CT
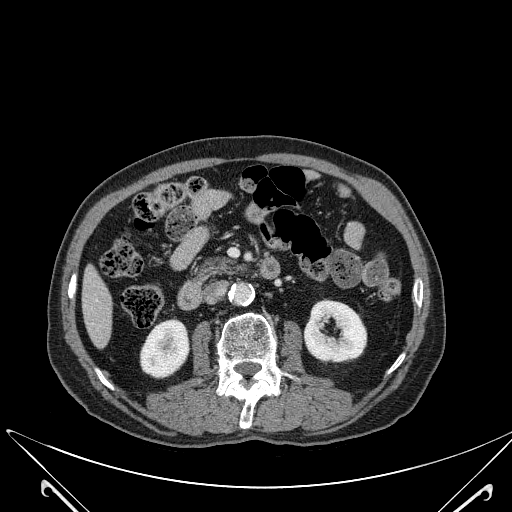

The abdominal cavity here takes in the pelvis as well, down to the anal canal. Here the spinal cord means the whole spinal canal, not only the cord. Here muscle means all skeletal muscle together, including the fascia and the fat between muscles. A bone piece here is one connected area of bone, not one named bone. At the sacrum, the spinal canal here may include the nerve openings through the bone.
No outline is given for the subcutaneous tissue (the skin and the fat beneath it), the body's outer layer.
The spinal cord is outlined by 243 362; 252 362; 253 363; 258 363; 260 365; 260 366; 261 367; 259 370; 258 370; 249 378; 246 378; 242 374; 241 374; 240 373; 237 372; 234 369; 234 367; 235 366; 235 365; 236 365; 237 364; 239 364; 240 363; 242 363. The torso is outlined by 261 134; 307 139; 366 160; 385 171; 406 196; 436 256; 445 301; 444 352; 419 401; 408 414; 386 428; 310 446; 248 440; 181 448; 132 436; 90 415; 63 387; 46 351; 47 298; 52 269; 76 209; 105 178; 152 153; 205 137. The muscle is outlined by 278 152; 301 154; 323 159; 343 168; 348 172; 357 173; 373 178; 385 185; 398 199; 411 221; 417 234; 424 254; 426 257; 427 265; 429 269; 428 275; 429 276; 429 287; 430 288; 430 307; 428 316; 425 321; 425 331; 423 338; 414 354; 414 357; 409 369; 399 386; 385 398; 372 407; 361 417; 358 418; 352 423; 337 430; 314 435; 309 435; 308 434; 307 435; 294 435; 293 434; 272 434; 269 432; 258 431; 252 429; 241 429; 220 436; 208 436; 207 437; 169 436; 162 433; 159 433; 147 427; 139 421; 132 418; 113 404; 104 399; 100 393; 91 385; 85 370; 80 365; 75 354; 65 341; 64 330; 62 324; 62 313; 61 312; 61 285; 62 284; 63 268; 66 260; 66 254; 71 240; 77 227; 87 211; 98 200; 108 193; 121 187; 126 186; 128 184; 130 184; 132 182; 139 179; 142 176; 158 168; 176 162; 194 159; 195 158; 204 158; 205 157; 231 158; 232 157; 241 157; 242 156; 256 156; 265 153; 277 153 with a hole at 252 160; 307 166; 341 178; 399 232; 413 275; 423 284; 421 308; 411 296; 403 361; 367 390; 337 387; 330 377; 305 370; 302 330; 285 319; 275 361; 300 380; 283 377; 279 395; 263 395; 250 427; 241 428; 244 402; 216 393; 219 336; 211 320; 202 320; 191 333; 191 377; 164 390; 126 391; 102 369; 111 390; 94 370; 78 330; 76 298; 67 293; 94 229; 114 206; 152 183. The bones appear in 5 outlined pieces: piece 1: 246 312; 260 313; 267 318; 277 336; 276 364; 283 371; 299 377; 300 380; 283 377; 280 382; 279 395; 263 395; 254 406; 250 427; 241 428; 239 418; 244 402; 232 395; 218 395; 216 393; 218 363; 215 344; 223 324; 230 317; inner edge: 243 362; 252 362; 253 363; 258 363; 260 365; 260 366; 261 367; 259 370; 258 370; 249 378; 246 378; 242 374; 241 374; 240 373; 237 372; 234 369; 234 367; 235 366; 235 365; 236 365; 237 364; 239 364; 240 363; 242 363; piece 2: 414 276; 418 276; 421 279; 421 280; 422 281; 422 283; 423 284; 423 298; 422 299; 422 306; 420 309; 419 309; 418 308; 416 303; 414 301; 414 298; 413 297; 413 295; 412 294; 412 287; 413 286; 413 281; 414 280; piece 3: 74 272; 75 272; 77 274; 77 277; 76 278; 76 292; 75 293; 75 297; 74 298; 74 299; 73 299; 72 300; 68 297; 67 290; 68 289; 68 285; 69 284; 70 277; 71 276; 72 273; 73 273; piece 4: 95 365; 96 366; 97 366; 101 370; 101 371; 102 372; 102 373; 104 375; 104 376; 106 378; 107 378; 113 384; 113 385; 114 386; 114 390; 111 390; 105 385; 104 385; 101 382; 101 381; 98 378; 98 377; 94 370; 94 366; piece 5: 402 351; 404 351; 405 352; 405 357; 404 358; 403 361; 400 364; 400 365; 397 368; 396 368; 390 374; 389 374; 388 375; 385 375; 385 372; 388 369; 388 368; 393 363; 393 362; 396 359; 396 358; 398 356; 398 355. The abdominal cavity is outlined by 252 160; 341 178; 399 232; 413 271; 401 351; 375 385; 349 391; 305 370; 294 320; 277 335; 265 315; 246 311; 230 316; 219 335; 211 320; 195 326; 191 377; 164 390; 124 390; 96 365; 77 326; 88 239; 114 206; 152 183.